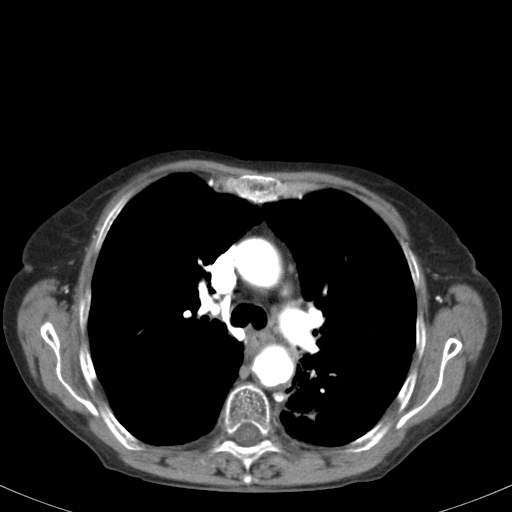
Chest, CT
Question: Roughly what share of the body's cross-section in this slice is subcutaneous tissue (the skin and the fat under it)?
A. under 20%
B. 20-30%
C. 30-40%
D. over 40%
Answer: A. under 20%
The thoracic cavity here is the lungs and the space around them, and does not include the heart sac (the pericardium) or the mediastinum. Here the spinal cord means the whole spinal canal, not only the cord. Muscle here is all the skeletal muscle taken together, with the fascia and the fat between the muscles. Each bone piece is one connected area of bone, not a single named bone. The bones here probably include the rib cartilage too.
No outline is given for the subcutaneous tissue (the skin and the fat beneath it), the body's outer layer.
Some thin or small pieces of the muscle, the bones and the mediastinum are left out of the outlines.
{"thoracic_cavity":[[[192,171],[261,211],[264,203],[341,190],[399,243],[416,300],[414,350],[394,400],[362,435],[324,446],[283,432],[280,407],[311,314],[292,252],[263,217],[209,266],[217,317],[243,347],[213,434],[153,445],[113,413],[87,329],[96,261],[131,198]]],"spinal_cord":[[[245,423],[249,423],[250,424],[255,426],[258,429],[258,430],[259,431],[259,433],[260,434],[260,440],[257,443],[256,443],[255,444],[253,444],[252,445],[241,445],[240,444],[239,444],[235,440],[235,433],[236,432],[236,431],[240,426],[241,426]]],"mediastinum":[[[263,218],[291,252],[301,294],[310,314],[311,330],[299,355],[300,364],[279,407],[282,433],[272,418],[270,402],[259,387],[253,383],[233,387],[243,362],[244,347],[218,317],[218,310],[214,307],[215,291],[210,283],[210,266],[246,230]]],"bones":[{"outer":[[243,384],[253,384],[265,394],[269,402],[271,418],[277,425],[284,448],[282,452],[267,451],[256,459],[250,465],[248,471],[251,475],[251,481],[248,484],[243,481],[243,475],[246,470],[240,459],[226,451],[208,453],[215,436],[214,430],[229,392]],"hole":[[245,423],[249,423],[250,424],[255,426],[258,429],[258,430],[259,431],[259,433],[260,434],[260,440],[257,443],[256,443],[255,444],[253,444],[252,445],[241,445],[240,444],[239,444],[235,440],[235,433],[236,432],[236,431],[240,426],[241,426]]},[[244,174],[259,174],[264,176],[270,176],[276,178],[282,182],[313,183],[320,185],[323,188],[310,192],[302,193],[293,198],[280,198],[275,201],[255,203],[242,198],[233,193],[215,189],[214,179],[219,180],[223,177],[228,176],[232,176],[236,178]],[[45,321],[49,321],[52,324],[59,340],[63,378],[78,395],[92,402],[98,409],[101,402],[108,404],[116,419],[143,443],[142,450],[126,448],[115,437],[102,418],[99,415],[95,416],[92,414],[61,383],[56,373],[56,355],[40,333],[40,327]],[[450,337],[454,337],[458,339],[461,342],[462,346],[461,349],[446,362],[443,370],[443,378],[440,388],[425,406],[412,415],[401,427],[396,428],[395,425],[398,420],[405,413],[421,404],[435,387],[439,375],[439,369],[441,364],[444,344],[446,340]],[[380,420],[385,420],[386,422],[388,422],[389,423],[390,426],[386,433],[376,444],[368,449],[362,450],[358,452],[346,452],[344,451],[344,449],[345,448],[344,446],[345,445],[348,444],[350,442],[355,440],[357,438],[365,434],[368,431],[373,428]],[[131,190],[134,190],[134,192],[132,196],[125,204],[111,224],[101,245],[99,252],[98,254],[97,254],[95,252],[95,244],[96,243],[96,240],[98,237],[98,233],[100,230],[100,228],[102,226],[108,213],[118,201],[118,200],[123,195]],[[83,344],[86,345],[89,349],[91,361],[92,362],[92,364],[93,365],[93,367],[94,368],[94,370],[97,377],[97,381],[96,381],[94,383],[94,390],[93,391],[92,391],[89,388],[80,367],[80,362],[79,361],[79,350],[80,349],[81,345]],[[412,370],[416,370],[417,372],[417,376],[416,377],[415,384],[414,385],[414,387],[413,388],[412,393],[405,407],[400,412],[398,412],[397,411],[398,404],[395,401],[395,398],[398,394],[400,389],[402,387],[408,375],[408,373]],[[401,239],[407,243],[413,252],[415,256],[415,259],[416,260],[417,266],[419,270],[419,284],[418,285],[418,287],[415,289],[414,287],[414,284],[412,280],[411,273],[408,266],[407,260],[405,257],[405,255],[403,252],[403,250],[399,242]],[[89,285],[90,285],[91,287],[91,291],[90,292],[90,305],[89,306],[89,313],[87,318],[87,325],[86,326],[86,329],[85,331],[82,333],[80,328],[80,323],[79,322],[79,300],[80,299],[80,297],[84,294],[86,288]],[[418,313],[421,313],[423,315],[423,320],[424,321],[424,324],[425,325],[425,345],[424,346],[424,348],[423,349],[423,352],[422,353],[422,355],[419,359],[418,358],[418,356],[415,351],[415,342],[416,341],[416,318],[417,317],[417,314]]],"muscle":[{"outer":[[184,159],[259,172],[310,170],[352,180],[395,207],[411,248],[368,205],[335,187],[259,173],[219,179],[200,170],[169,173],[133,196],[134,189],[127,191],[109,210],[94,244],[91,283],[78,300],[79,328],[82,334],[87,330],[89,343],[89,348],[84,343],[79,347],[79,367],[88,388],[93,392],[98,381],[108,403],[101,401],[98,408],[64,378],[60,340],[49,320],[39,333],[55,355],[58,380],[128,450],[142,451],[144,443],[178,446],[213,435],[207,453],[226,452],[240,460],[246,485],[256,460],[285,450],[283,433],[309,445],[343,446],[346,453],[368,450],[389,430],[382,418],[391,404],[400,413],[409,402],[418,376],[416,369],[409,371],[412,356],[414,351],[419,360],[426,345],[424,315],[417,313],[420,270],[414,252],[425,275],[430,312],[443,304],[451,285],[466,283],[482,297],[487,331],[454,400],[414,427],[383,463],[338,480],[285,486],[165,478],[124,463],[36,383],[17,333],[17,312],[27,290],[54,277],[60,282],[58,297],[70,302],[85,247],[112,196],[137,174]],"hole":[[450,337],[454,337],[458,339],[461,342],[462,346],[461,349],[446,362],[443,370],[443,378],[440,388],[425,406],[412,415],[401,427],[396,428],[395,425],[398,420],[405,413],[421,404],[435,387],[439,375],[439,369],[441,364],[444,344],[446,340]]}],"torso":[[[182,148],[242,159],[343,163],[382,174],[439,213],[496,288],[502,308],[501,332],[473,396],[445,426],[383,477],[330,489],[257,493],[144,481],[104,467],[26,387],[7,347],[2,323],[5,292],[22,266],[26,240],[48,216],[118,168],[152,153]]]}